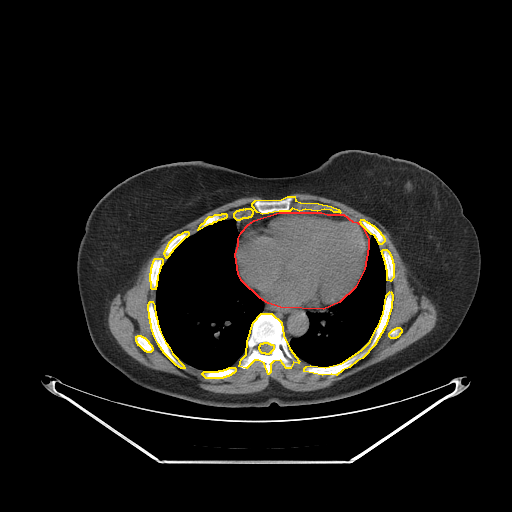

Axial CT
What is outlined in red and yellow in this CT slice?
red: pericardium; yellow: bones.
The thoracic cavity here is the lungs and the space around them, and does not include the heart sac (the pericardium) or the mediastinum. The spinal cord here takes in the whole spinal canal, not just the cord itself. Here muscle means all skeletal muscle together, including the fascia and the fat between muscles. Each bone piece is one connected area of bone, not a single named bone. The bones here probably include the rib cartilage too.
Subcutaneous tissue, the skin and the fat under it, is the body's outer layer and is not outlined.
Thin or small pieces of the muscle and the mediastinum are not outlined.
The pericardium is outlined by 279,212 321,212 327,214 343,214 352,221 357,222 361,225 368,238 368,247 364,269 355,287 339,302 323,309 280,307 268,303 260,298 242,281 238,274 235,254 238,245 238,238 241,232 248,224 254,220. The bones appear in 13 outlined pieces: piece 1: 261,313 271,313 281,322 283,335 289,348 299,361 298,363 293,362 290,368 286,368 280,360 273,361 270,364 270,372 268,374 264,363 258,360 254,360 246,368 239,366 241,359 246,354 247,341 253,322, around a hole outlined by 264,342 267,342 268,343 269,343 270,344 272,344 273,345 273,349 270,352 270,353 269,353 268,354 266,354 265,353 262,353 260,351 260,350 259,349 259,346 260,345 260,344 261,343 263,343; piece 2: 390,291 392,294 391,307 385,326 374,345 362,358 356,361 349,367 342,370 336,375 331,374 322,375 304,371 304,368 306,366 310,365 325,367 341,363 361,350 370,341 376,328 378,326 383,313 386,295; piece 3: 287,196 294,196 295,200 300,202 318,203 331,206 338,209 340,212 334,212 331,210 324,209 317,211 305,209 299,211 292,208 289,211 279,211 262,214 257,212 252,206 252,203 255,200 281,199; piece 4: 150,301 152,301 154,305 155,315 156,316 157,323 160,332 165,342 169,347 172,353 183,365 184,368 181,368 176,365 164,353 158,344 154,336 151,327 151,324 150,323 150,319 149,318 148,304; piece 5: 229,367 234,367 235,368 235,371 233,373 232,373 230,375 229,375 228,376 226,376 225,377 223,377 222,378 206,378 202,374 202,373 204,371 218,371 219,370 223,370 224,369 226,369 227,368 228,368; piece 6: 155,258 161,258 162,259 162,264 160,266 160,268 159,269 159,271 157,275 157,280 156,281 156,286 155,287 155,289 152,289 151,288 151,282 150,281 150,273 151,272 151,267 152,266 153,261; piece 7: 383,249 386,249 389,252 389,253 391,256 391,258 392,259 392,262 393,263 393,277 390,281 387,280 387,270 386,269 386,265 385,264 385,261 384,260 384,258 383,257 383,255 382,254 382,252 381,251; piece 8: 185,231 187,231 188,232 188,235 186,237 185,237 172,250 172,251 166,258 166,257 164,254 164,252 165,251 165,250 166,249 166,248 167,247 167,246 168,245 169,242 175,236 176,236 178,234 180,234; piece 9: 361,219 363,219 367,222 368,222 372,225 373,225 380,232 380,233 383,236 383,237 384,238 384,241 381,244 379,244 379,243 378,242 377,239 375,237 375,236 374,235 371,234 361,224 361,223 360,222; piece 10: 222,213 225,213 226,214 226,217 225,218 224,218 223,219 221,219 220,220 218,220 215,222 213,222 211,224 209,224 198,230 200,225 202,223 203,223 205,221 205,220 209,216 212,216 215,214 221,214; piece 11: 244,208 245,209 246,208 250,208 252,210 252,214 251,215 251,216 250,217 248,217 247,218 242,218 241,219 240,219 239,220 237,220 234,217 234,213 237,210 239,210 240,209 243,209; piece 12: 138,335 140,335 141,336 142,336 143,337 144,337 148,341 148,342 151,345 151,346 152,347 152,350 150,352 147,352 146,351 145,351 139,345 138,345 138,344 137,343 137,342 136,341 136,336 137,336; piece 13: 397,327 399,327 401,329 401,332 399,334 399,335 397,337 396,337 395,338 391,338 389,336 389,333 393,329 394,329 395,328 396,328. The mediastinum appears in 2 outlined pieces: piece 1: 262,300 268,304 286,309 289,308 323,310 325,308 330,307 327,311 309,311 307,313 309,320 309,328 307,331 300,337 294,337 288,342 287,338 284,335 284,326 282,322 273,313 262,312 264,309 264,303; piece 2: 253,213 258,213 262,215 265,215 266,214 269,214 267,214 266,215 261,217 258,217 254,219 251,222 248,223 242,229 238,237 238,231 237,230 237,222 236,220 237,221 239,221 242,219 247,219 248,218 250,218 252,216. The muscle is outlined by 293,193 308,193 342,202 375,219 388,231 406,266 414,292 425,295 437,310 438,319 428,333 391,357 327,387 310,391 290,390 272,379 257,392 212,392 193,381 148,368 120,346 108,326 110,303 117,293 124,294 133,285 162,238 221,205 242,197 258,196 265,199 257,198 251,203 256,212 244,207 231,217 225,212 209,215 192,234 185,230 168,242 163,263 161,257 153,259 149,281 150,288 155,290 155,302 148,302 147,312 160,349 179,368 185,368 180,360 203,371 201,374 206,379 230,376 236,371 232,366 240,359 241,369 258,361 263,363 268,375 273,362 280,361 290,369 293,363 300,362 298,358 309,365 303,368 305,373 322,376 336,376 362,359 379,339 392,307 393,294 390,290 386,293 386,284 394,277 394,263 390,252 380,248 385,238 363,218 360,224 338,213 341,211 336,207 296,200 294,195 289,195 with holes at 138,335 140,335 141,336 142,336 143,337 144,337 148,341 148,342 151,345 151,346 152,347 152,350 150,352 147,352 146,351 145,351 139,345 138,345 138,344 137,343 137,342 136,341 136,336 137,336 and at 397,327 399,327 401,329 401,332 399,334 399,335 397,337 396,337 395,338 391,338 389,336 389,333 393,329 394,329 395,328 396,328. The torso is outlined by 346,149 407,159 432,171 456,194 476,231 481,255 477,290 462,323 440,351 356,395 282,407 274,402 217,407 158,393 134,383 99,354 81,304 77,254 91,210 110,189 145,169 193,160 257,177 294,176. The thoracic cavity appears in 2 outlined pieces: piece 1: 227,218 233,218 236,222 237,239 234,254 237,275 262,301 263,309 252,322 250,333 246,341 245,354 231,366 226,368 218,370 202,370 182,361 173,353 166,342 156,315 156,287 161,266 185,238 213,223; piece 2: 371,235 374,236 379,245 386,270 386,294 377,326 367,342 358,351 343,361 325,366 309,364 297,357 290,348 289,342 294,338 300,338 308,331 310,328 309,312 327,312 332,306 348,296 356,287 365,269. The spinal cord is outlined by 264,342 267,342 268,343 269,343 270,344 272,344 273,345 273,349 270,352 270,353 269,353 268,354 266,354 265,353 262,353 260,351 260,350 259,349 259,346 260,345 260,344 261,343 263,343.